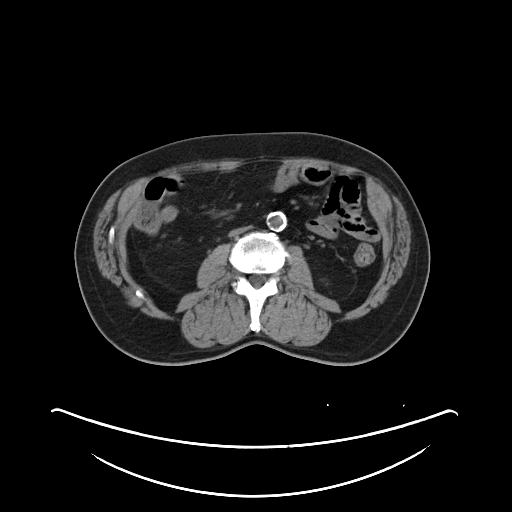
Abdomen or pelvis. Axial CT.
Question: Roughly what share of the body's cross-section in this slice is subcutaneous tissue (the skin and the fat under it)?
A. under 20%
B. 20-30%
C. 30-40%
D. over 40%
Answer: C. 30-40%
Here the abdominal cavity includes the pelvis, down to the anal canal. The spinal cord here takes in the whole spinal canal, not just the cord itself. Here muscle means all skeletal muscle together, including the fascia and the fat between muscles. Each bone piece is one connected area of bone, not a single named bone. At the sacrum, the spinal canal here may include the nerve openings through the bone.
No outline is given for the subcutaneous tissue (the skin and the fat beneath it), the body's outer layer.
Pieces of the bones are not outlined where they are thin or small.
{"muscle":[{"outer":[[257,156],[309,157],[330,160],[361,169],[377,178],[401,202],[406,212],[411,231],[407,263],[402,275],[381,304],[363,316],[337,322],[328,334],[315,345],[295,346],[289,343],[284,344],[278,342],[264,334],[251,334],[229,345],[216,344],[205,348],[196,347],[184,338],[180,326],[174,321],[150,317],[141,312],[137,307],[128,305],[120,290],[101,274],[93,249],[95,223],[107,199],[118,189],[140,176],[194,161]],"holes":[[[262,161],[364,178],[382,236],[381,270],[366,297],[344,311],[315,289],[302,248],[288,244],[278,291],[252,331],[249,303],[231,286],[238,273],[231,244],[221,243],[199,265],[198,289],[172,311],[158,306],[130,273],[126,247],[148,181]],[[111,226],[113,226],[114,227],[114,240],[113,241],[113,243],[112,244],[110,244],[108,242],[108,233],[109,232],[109,229],[110,228],[110,227]],[[137,289],[139,289],[142,292],[142,293],[144,295],[144,298],[140,298],[139,297],[138,297],[135,294],[135,291]]]}],"torso":[[[286,130],[324,133],[358,144],[387,161],[410,191],[426,227],[430,265],[419,308],[403,336],[383,354],[355,365],[319,363],[261,344],[208,361],[158,365],[135,359],[114,347],[87,311],[74,263],[78,226],[99,183],[123,161],[174,140],[211,133]]],"spinal_cord":[[[252,274],[258,274],[259,275],[264,275],[265,276],[265,281],[263,283],[263,284],[261,286],[260,286],[259,287],[258,287],[257,288],[256,288],[255,287],[254,287],[251,284],[251,283],[250,282],[250,281],[249,280],[249,276],[250,275],[251,275]]],"bones":[{"outer":[[255,231],[276,234],[289,253],[289,256],[278,272],[279,285],[277,293],[268,296],[262,306],[259,316],[261,328],[258,332],[252,331],[249,327],[250,314],[247,299],[243,295],[236,293],[231,286],[238,273],[229,262],[231,248],[238,238]],"hole":[[252,274],[258,274],[259,275],[264,275],[265,276],[265,281],[263,283],[263,284],[261,286],[260,286],[259,287],[258,287],[257,288],[256,288],[255,287],[254,287],[251,284],[251,283],[250,282],[250,281],[249,280],[249,276],[250,275],[251,275]]}],"abdominal_cavity":[[[262,161],[330,167],[364,178],[367,207],[382,236],[381,270],[366,297],[344,311],[315,289],[299,245],[285,246],[276,233],[255,230],[231,247],[221,243],[212,249],[197,269],[198,289],[185,293],[172,311],[158,306],[130,273],[126,247],[148,181]]]}